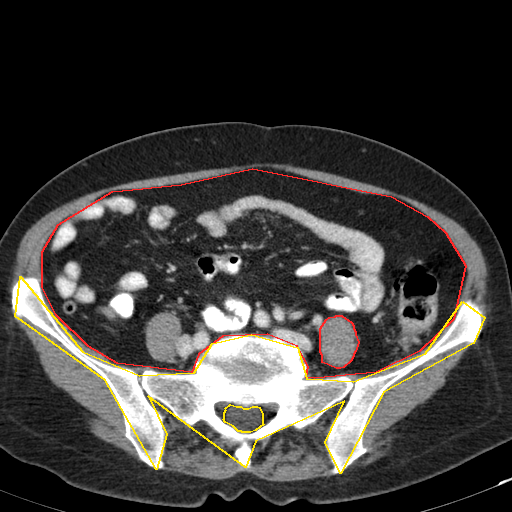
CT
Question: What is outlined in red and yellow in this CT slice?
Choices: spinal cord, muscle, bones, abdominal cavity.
Answer: red: abdominal cavity; yellow: bones.
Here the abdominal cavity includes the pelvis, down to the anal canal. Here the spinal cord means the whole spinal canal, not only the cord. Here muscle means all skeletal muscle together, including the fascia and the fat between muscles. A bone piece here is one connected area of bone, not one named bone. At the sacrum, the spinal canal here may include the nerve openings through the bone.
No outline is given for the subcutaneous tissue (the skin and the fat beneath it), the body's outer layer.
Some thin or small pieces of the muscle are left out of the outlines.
Outlines (x, y in pixels):
abdominal cavity: [[252,168],[391,196],[427,216],[445,232],[465,265],[453,319],[419,351],[376,372],[314,378],[306,377],[308,366],[297,346],[267,334],[222,336],[198,354],[191,372],[117,363],[88,346],[56,315],[42,287],[42,251],[58,224],[112,191],[181,184]] with a hole at [[336,315],[341,315],[351,322],[353,325],[353,328],[355,331],[355,334],[358,342],[355,351],[353,354],[353,356],[350,361],[343,367],[340,368],[336,368],[322,362],[322,355],[320,352],[320,328],[326,319],[329,317],[335,316]]
bones: [[20,276],[82,351],[139,375],[194,372],[212,343],[251,334],[297,347],[306,378],[353,381],[425,353],[462,301],[484,317],[473,343],[383,392],[340,473],[325,442],[344,401],[255,441],[245,467],[148,396],[166,434],[156,469],[105,380],[15,316]]; inner edge: [[230,404],[236,406],[240,406],[243,408],[248,408],[252,406],[257,406],[259,407],[262,414],[262,423],[263,424],[255,430],[250,432],[242,432],[241,431],[238,431],[233,426],[225,422],[223,419],[224,418],[224,412],[226,409],[225,408]]
torso: [[219,121],[310,124],[360,134],[427,163],[470,197],[500,243],[511,283],[511,440],[424,481],[365,498],[275,505],[248,489],[231,501],[211,494],[198,507],[149,504],[80,489],[0,448],[0,238],[16,213],[46,181],[99,149],[152,131]]
spinal cord: [[230,404],[236,406],[240,406],[243,408],[248,408],[252,406],[257,406],[259,407],[262,414],[262,423],[263,424],[255,430],[250,432],[242,432],[241,431],[238,431],[233,426],[225,422],[223,419],[224,418],[224,412],[226,409],[225,408]]
muscle 1: [[253,162],[288,163],[333,173],[415,199],[461,225],[484,256],[491,310],[478,343],[464,352],[450,370],[444,385],[403,419],[400,436],[387,454],[365,466],[346,469],[368,451],[363,443],[365,428],[384,392],[436,356],[464,343],[473,344],[484,327],[484,311],[474,300],[467,298],[458,306],[467,275],[460,253],[437,223],[402,199],[385,194],[362,193],[281,169],[252,167],[181,183],[112,190],[88,201],[57,224],[41,251],[41,286],[37,277],[20,275],[10,287],[11,309],[17,319],[22,317],[53,337],[104,380],[121,412],[124,436],[141,461],[88,430],[76,402],[48,378],[30,340],[11,317],[7,288],[16,251],[26,231],[48,212],[87,193],[122,183]]
muscle 2: [[148,397],[186,425],[203,422],[222,439],[230,440],[235,445],[237,463],[245,468],[252,464],[255,442],[289,427],[301,430],[344,402],[331,419],[324,442],[331,464],[327,473],[330,476],[271,481],[240,472],[225,479],[210,479],[163,470],[165,416]]
muscle 3: [[336,315],[341,315],[351,322],[353,325],[353,328],[355,331],[355,334],[358,342],[355,351],[353,354],[353,356],[350,361],[343,367],[340,368],[336,368],[322,362],[322,355],[320,352],[320,328],[326,319],[329,317],[335,316]]
muscle 4: [[164,311],[174,312],[175,315],[179,319],[179,322],[181,325],[181,333],[179,336],[179,339],[175,344],[175,347],[173,350],[174,353],[173,358],[167,361],[159,361],[154,359],[148,351],[148,349],[145,343],[144,328],[146,325],[146,322],[154,314]]
muscle 5: [[43,291],[44,295],[55,315],[72,334],[81,340],[81,341],[88,347],[102,352],[108,359],[117,364],[121,364],[126,366],[145,366],[146,365],[149,365],[153,368],[145,368],[139,374],[131,367],[108,364],[86,353],[76,345],[58,325],[45,301]]
muscle 6: [[451,321],[446,330],[425,352],[399,368],[392,370],[385,374],[380,374],[373,376],[362,376],[357,377],[353,380],[351,376],[348,374],[340,374],[345,372],[350,372],[360,375],[376,373],[397,358],[405,358],[419,352],[432,342],[438,336],[442,329]]